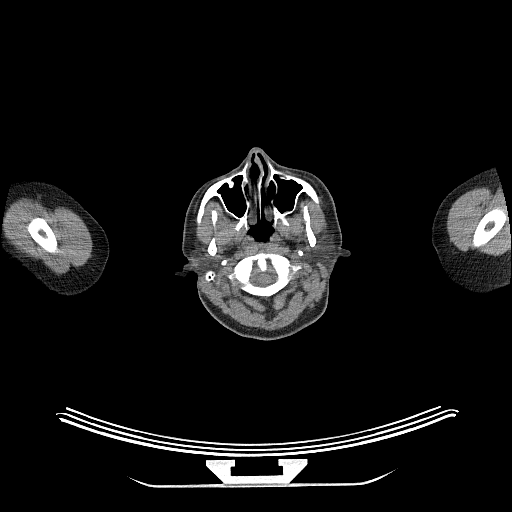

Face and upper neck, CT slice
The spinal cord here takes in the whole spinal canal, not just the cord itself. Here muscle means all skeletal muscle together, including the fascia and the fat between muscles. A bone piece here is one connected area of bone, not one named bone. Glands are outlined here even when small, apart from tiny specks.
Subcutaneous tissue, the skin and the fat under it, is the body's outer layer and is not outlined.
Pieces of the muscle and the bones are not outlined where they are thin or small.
The muscle appears in 3 outlined pieces: piece 1: [[282,171],[311,179],[322,195],[328,228],[319,235],[316,244],[308,205],[303,204],[301,209],[308,243],[314,247],[308,253],[308,261],[321,262],[328,274],[322,298],[311,312],[288,326],[265,330],[247,327],[234,321],[213,305],[202,292],[200,277],[204,274],[204,279],[209,282],[215,278],[214,271],[218,269],[217,260],[210,256],[217,253],[217,238],[213,236],[206,249],[195,238],[194,207],[202,192],[211,184],[200,200],[196,224],[198,226],[201,223],[207,203],[216,197],[224,211],[236,220],[233,227],[235,231],[238,232],[243,227],[258,242],[266,242],[279,222],[286,227],[290,225],[287,216],[297,208],[302,194],[315,204],[320,203],[316,190],[308,181]] with holes at [[258,252],[280,254],[286,257],[292,263],[300,264],[302,267],[292,275],[291,279],[284,287],[270,296],[259,296],[248,293],[241,288],[241,284],[236,279],[232,281],[230,280],[227,277],[227,274],[232,271],[233,267],[241,259],[247,256],[256,254]] and at [[212,209],[215,209],[216,210],[216,211],[217,212],[217,221],[216,222],[216,225],[215,226],[215,227],[214,227],[213,226],[213,225],[212,224],[212,219],[211,218],[211,210]]; piece 2: [[20,197],[36,198],[41,202],[54,207],[59,205],[65,206],[78,214],[88,227],[92,237],[93,242],[92,258],[82,267],[75,269],[72,268],[64,274],[57,275],[52,272],[41,260],[26,257],[16,251],[8,244],[4,235],[4,222],[10,204]]; inner edge: [[35,217],[41,217],[45,219],[47,223],[53,231],[55,235],[55,237],[57,240],[57,243],[58,244],[58,249],[59,250],[57,252],[55,253],[51,253],[50,252],[46,251],[33,239],[33,238],[27,230],[27,226],[28,224],[30,222],[30,221]]; piece 3: [[483,185],[493,185],[494,186],[501,185],[509,220],[508,221],[509,225],[508,231],[511,234],[511,253],[508,251],[500,256],[491,256],[475,251],[460,252],[448,240],[445,223],[447,213],[451,204],[464,192],[476,186]], around a hole outlined by [[496,207],[501,207],[505,210],[506,212],[506,215],[507,216],[507,220],[506,222],[497,232],[497,233],[485,244],[479,247],[474,247],[472,245],[472,239],[473,238],[473,234],[474,233],[474,231],[477,224],[479,222],[480,219],[488,211]]. The parotid glands appear in 2 outlined pieces: piece 1: [[329,228],[333,234],[333,242],[335,248],[334,249],[334,259],[331,263],[330,267],[328,266],[327,268],[326,268],[323,265],[321,261],[310,262],[308,257],[310,251],[316,246],[317,243],[319,241],[319,237],[320,235],[321,235],[326,229]]; piece 2: [[195,239],[196,240],[197,239],[201,243],[201,244],[205,248],[206,252],[209,256],[211,258],[216,260],[216,263],[217,264],[217,269],[216,270],[214,270],[212,268],[208,268],[205,272],[200,276],[193,267],[191,262],[191,252],[194,247],[194,240]]. The right arm is outlined by [[24,178],[39,178],[59,186],[74,197],[95,218],[103,228],[109,243],[109,255],[107,262],[99,280],[83,293],[70,297],[59,296],[45,289],[37,283],[30,277],[19,263],[9,261],[5,257],[1,245],[1,236],[6,201],[11,184],[16,180]]. The spinal cord is outlined by [[254,268],[256,268],[260,272],[266,272],[269,269],[269,268],[271,268],[276,274],[276,279],[275,280],[275,281],[274,282],[273,282],[270,284],[268,284],[265,286],[261,286],[260,285],[255,285],[251,282],[251,276],[252,275],[252,273],[254,270]]. The left arm is outlined by [[491,167],[495,168],[496,170],[501,185],[505,205],[507,208],[507,215],[509,220],[508,231],[511,234],[511,275],[509,278],[508,285],[490,293],[476,294],[459,287],[448,279],[445,275],[431,241],[431,227],[436,211],[446,195],[456,186],[468,178]]. The head and neck is outlined by [[254,146],[277,163],[308,171],[325,184],[334,201],[342,247],[350,252],[340,256],[332,269],[324,313],[308,327],[279,340],[253,340],[228,330],[201,302],[196,274],[189,272],[183,278],[174,274],[187,261],[182,238],[192,196],[204,182],[236,167]] with holes at [[275,176],[277,176],[280,180],[291,181],[300,186],[294,196],[291,208],[285,211],[280,211],[272,197],[265,205],[264,209],[263,208],[263,194],[264,192],[264,194],[266,196],[267,195],[267,190],[271,182],[274,185],[274,194],[278,193],[278,183]] and at [[238,177],[241,178],[240,181],[240,191],[245,206],[243,213],[241,215],[237,215],[228,208],[222,196],[222,194],[220,192],[220,189],[222,186],[225,184],[226,184],[228,188],[231,189],[235,185],[235,181],[234,180]] and at [[263,211],[264,212],[264,214],[265,215],[266,219],[268,221],[272,221],[272,227],[273,228],[273,231],[269,236],[269,238],[266,241],[258,241],[256,239],[255,239],[248,232],[248,231],[250,228],[250,226],[255,224],[257,221],[257,219],[263,214]] and at [[253,156],[254,156],[254,158],[253,159],[254,160],[254,162],[256,164],[256,165],[259,170],[259,173],[258,174],[258,175],[257,176],[255,181],[253,179],[252,179],[252,178],[250,176],[250,169],[251,168],[251,166],[252,165],[252,157]] and at [[259,155],[260,155],[262,157],[262,158],[263,159],[263,160],[264,161],[264,162],[266,165],[266,167],[267,168],[267,171],[266,172],[266,173],[265,172],[265,170],[264,169],[264,167],[263,166],[263,162],[261,160],[261,159],[260,158]]. The bones appear in 7 outlined pieces: piece 1: [[255,154],[258,154],[266,174],[265,161],[269,161],[277,170],[308,182],[315,190],[319,203],[302,193],[296,208],[286,216],[288,226],[279,221],[274,228],[270,211],[265,214],[263,210],[257,218],[257,214],[251,211],[247,217],[248,230],[243,226],[237,231],[234,229],[237,220],[225,211],[215,196],[206,203],[198,225],[196,217],[201,200],[212,184],[241,170],[248,161],[251,161],[249,176],[256,181],[260,170]] with holes at [[275,176],[277,176],[280,180],[291,181],[300,186],[294,196],[291,208],[285,211],[280,211],[272,197],[265,205],[264,209],[263,208],[263,194],[264,192],[264,194],[266,196],[267,195],[267,190],[271,182],[274,185],[274,194],[278,193],[278,183]] and at [[238,177],[241,178],[240,181],[240,191],[245,206],[243,213],[241,215],[237,215],[228,208],[222,196],[222,194],[220,192],[220,189],[222,186],[225,184],[226,184],[228,188],[231,189],[235,185],[235,181],[234,180]]; piece 2: [[258,252],[280,254],[286,257],[292,263],[300,264],[302,267],[292,275],[291,279],[284,287],[270,296],[259,296],[248,293],[241,288],[241,284],[236,279],[232,281],[230,280],[227,277],[227,274],[232,271],[233,267],[241,259],[247,256],[256,254]], around a hole outlined by [[254,268],[256,268],[260,272],[266,272],[269,269],[269,268],[271,268],[276,274],[276,279],[275,280],[275,281],[274,282],[273,282],[270,284],[268,284],[265,286],[261,286],[260,285],[255,285],[251,282],[251,276],[252,275],[252,273],[254,270]]; piece 3: [[496,207],[501,207],[505,210],[506,212],[506,215],[507,216],[507,220],[506,222],[497,232],[497,233],[485,244],[479,247],[474,247],[472,245],[472,239],[473,238],[473,234],[474,233],[474,231],[477,224],[479,222],[480,219],[488,211]]; piece 4: [[35,217],[41,217],[45,219],[47,223],[53,231],[55,235],[55,237],[57,240],[57,243],[58,244],[58,249],[59,250],[57,252],[55,253],[51,253],[50,252],[46,251],[33,239],[33,238],[27,230],[27,226],[28,224],[30,222],[30,221]]; piece 5: [[305,204],[307,205],[307,210],[309,214],[309,221],[310,222],[310,226],[316,239],[316,241],[315,242],[315,245],[312,247],[309,243],[309,241],[308,240],[308,238],[307,237],[307,235],[305,231],[305,222],[303,218],[303,210],[302,209],[302,206]]; piece 6: [[213,237],[215,237],[216,238],[216,240],[215,241],[215,243],[216,244],[216,248],[217,249],[217,250],[216,251],[216,253],[214,255],[211,255],[207,251],[207,249],[208,248],[208,245],[210,243],[210,242],[211,241],[211,240],[212,239],[212,238]]; piece 7: [[208,270],[212,270],[215,273],[215,275],[214,276],[214,278],[213,279],[212,279],[211,280],[210,280],[209,281],[207,281],[205,279],[205,273]].